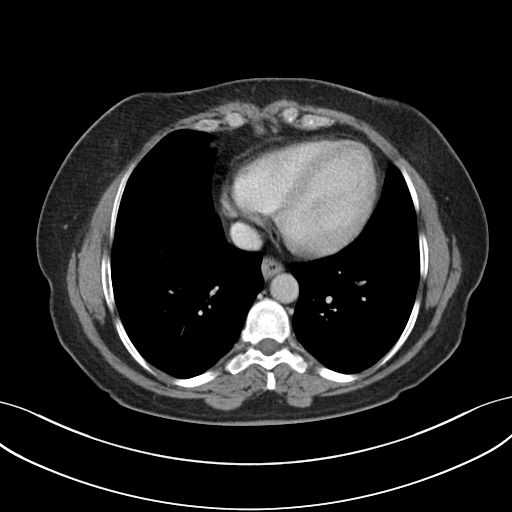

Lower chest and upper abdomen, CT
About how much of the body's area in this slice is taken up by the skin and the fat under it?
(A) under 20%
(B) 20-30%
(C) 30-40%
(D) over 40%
(B) 20-30%
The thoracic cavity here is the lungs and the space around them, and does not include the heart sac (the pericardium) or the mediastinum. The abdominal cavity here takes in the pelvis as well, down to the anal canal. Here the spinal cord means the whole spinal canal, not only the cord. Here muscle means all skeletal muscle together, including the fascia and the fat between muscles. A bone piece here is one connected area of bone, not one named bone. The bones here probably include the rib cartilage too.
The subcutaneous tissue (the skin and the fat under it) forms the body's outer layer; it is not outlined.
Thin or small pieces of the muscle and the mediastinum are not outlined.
The pericardium is outlined by 326,133 349,134 362,140 371,148 380,171 378,200 361,232 347,245 331,254 310,261 293,261 288,263 283,260 276,247 256,226 231,216 224,209 221,202 221,195 228,165 234,157 264,140 279,137 309,137. The muscle is outlined by 281,98 348,113 393,144 441,202 452,223 461,255 459,282 435,331 410,360 363,387 316,397 305,407 289,405 273,390 276,378 272,369 285,363 300,374 307,370 304,357 285,344 293,334 322,365 316,372 338,383 357,380 358,373 378,361 385,364 410,335 421,306 416,297 419,278 427,276 429,266 427,236 417,228 418,193 403,165 395,165 362,131 332,124 327,116 305,113 298,126 304,129 299,129 280,122 272,113 260,113 241,127 221,131 214,131 219,128 218,119 201,118 193,129 167,133 120,178 109,217 110,256 105,251 100,259 103,297 111,311 116,307 119,317 114,327 120,341 146,371 153,372 151,365 174,377 171,382 176,386 200,386 218,375 211,368 239,341 248,345 223,368 235,375 252,364 260,365 266,370 269,390 231,410 157,394 113,368 85,334 67,291 73,246 102,191 158,130 227,101 262,105 with holes at 228,112 237,112 238,113 239,113 244,118 244,119 245,120 245,122 242,125 241,125 240,126 238,126 237,127 231,127 230,126 229,126 227,124 227,123 224,120 224,117 225,116 225,115 and at 290,107 294,107 295,108 296,108 298,110 298,116 296,118 296,119 292,123 288,123 287,122 286,122 284,120 284,119 282,117 282,116 281,115 281,113 282,112 282,111 284,109 285,109 286,108 289,108. The abdominal cavity is outlined by 260,114 272,114 277,118 278,118 279,120 279,125 280,126 280,131 279,133 278,133 274,136 266,136 265,137 260,137 258,136 254,131 254,129 253,128 253,125 252,124 252,119 253,119 256,116. The torso is outlined by 248,77 322,79 412,105 443,134 479,194 489,249 468,302 461,340 425,380 389,402 299,423 214,425 169,419 116,402 94,385 57,337 49,286 37,261 36,230 48,188 72,146 104,112 132,94 184,91. The bones appear in 13 outlined pieces: piece 1: 264,298 272,299 284,308 292,332 284,344 308,364 302,373 285,362 274,366 271,371 275,388 272,390 266,387 267,370 260,364 252,363 235,374 224,368 234,355 244,352 249,345 239,340 240,334 250,308, around a hole outlined by 265,338 270,338 271,339 273,339 276,342 277,342 281,346 277,350 276,350 273,353 272,353 271,354 265,354 264,353 263,353 259,349 256,348 256,345 257,345 258,344 258,343 261,340 262,340; piece 2: 416,298 419,298 420,300 420,306 419,307 418,314 417,315 415,323 413,326 413,328 399,349 385,363 380,364 379,363 379,361 394,345 399,338 402,331 404,329; piece 3: 105,252 106,252 110,257 111,283 112,284 112,288 113,289 113,296 114,297 114,301 115,302 115,304 112,310 111,310 108,307 106,303 106,301 104,297 103,288 102,287 102,281 101,280 101,259 103,254; piece 4: 117,317 120,319 126,333 128,335 130,340 136,349 144,358 144,359 150,365 150,367 152,369 152,372 150,372 142,367 132,357 132,356 128,352 124,346 123,343 121,341 118,335 118,333 115,327 115,320; piece 5: 134,162 136,162 136,165 131,172 125,184 121,196 121,199 119,203 119,207 117,211 113,237 112,239 111,239 109,235 109,228 110,227 110,217 111,216 111,211 113,206 114,198 121,178 130,165; piece 6: 209,369 213,371 215,371 217,373 217,375 212,380 208,381 203,384 197,385 196,386 193,386 192,387 184,387 183,386 176,385 172,382 172,380 174,378 188,378 189,377 192,377 193,376 198,375; piece 7: 320,366 324,366 329,369 331,369 334,371 337,371 341,373 347,373 348,374 357,373 359,375 359,377 353,381 349,381 348,382 338,382 337,381 333,381 332,380 330,380 329,379 322,377 317,372 317,369; piece 8: 420,232 422,232 426,236 426,239 427,240 427,244 428,245 428,266 427,267 427,274 426,275 426,276 424,278 423,278 420,276 420,271 419,270 419,269 420,268 420,263 419,262 419,242 418,241 418,234; piece 9: 305,114 313,114 314,115 319,115 320,116 324,116 325,117 329,118 333,122 330,125 328,125 327,126 321,126 320,127 314,128 313,129 305,129 304,128 301,128 299,127 301,123 301,118 302,116; piece 10: 399,165 403,166 406,169 415,187 415,189 417,193 417,196 418,197 418,200 419,201 419,210 417,212 416,212 415,210 415,208 411,198 411,195 409,192 409,190 406,184 406,182 404,179 404,177 399,169; piece 11: 201,119 215,119 216,120 218,120 219,121 219,124 218,125 218,128 216,130 214,130 213,131 203,131 202,130 197,130 196,129 194,129 193,128 193,125 197,121 198,121 199,120 200,120; piece 12: 228,112 237,112 238,113 239,113 244,118 244,119 245,120 245,122 242,125 241,125 240,126 238,126 237,127 231,127 230,126 229,126 227,124 227,123 224,120 224,117 225,116 225,115; piece 13: 290,107 294,107 295,108 296,108 298,110 298,116 296,118 296,119 292,123 288,123 287,122 286,122 284,120 284,119 282,117 282,116 281,115 281,113 282,112 282,111 284,109 285,109 286,108 289,108. The spinal cord is outlined by 265,338 270,338 271,339 273,339 276,342 277,342 281,346 277,350 276,350 273,353 272,353 271,354 265,354 264,353 263,353 259,349 256,348 256,345 257,345 258,344 258,343 261,340 262,340. The mediastinum is outlined by 251,121 254,133 260,138 279,134 280,123 310,131 335,124 351,126 365,134 392,163 385,172 379,199 381,171 374,152 365,141 349,133 272,137 252,145 228,163 221,205 231,217 256,227 289,264 299,286 290,319 285,308 272,298 264,297 254,302 264,285 262,253 243,250 229,243 214,211 212,178 217,156 208,146 211,138 208,133 241,128. The thoracic cavity appears in 2 outlined pieces: piece 1: 179,129 202,131 209,135 207,146 216,156 211,178 213,211 229,244 243,251 261,253 263,279 238,340 210,368 188,377 175,377 150,364 137,349 116,306 111,268 116,220 128,179 138,163 163,137; piece 2: 392,164 398,168 403,177 416,216 419,277 415,298 403,329 388,351 375,363 359,372 341,372 323,365 302,346 292,331 291,318 300,294 300,286 289,266 293,262 305,263 331,255 355,240 378,204 386,172.